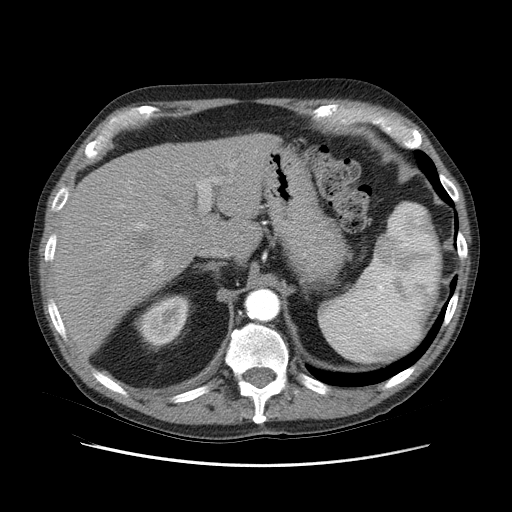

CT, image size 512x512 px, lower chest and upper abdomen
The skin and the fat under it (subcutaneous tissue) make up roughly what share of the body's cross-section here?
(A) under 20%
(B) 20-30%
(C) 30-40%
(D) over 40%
(A) under 20%
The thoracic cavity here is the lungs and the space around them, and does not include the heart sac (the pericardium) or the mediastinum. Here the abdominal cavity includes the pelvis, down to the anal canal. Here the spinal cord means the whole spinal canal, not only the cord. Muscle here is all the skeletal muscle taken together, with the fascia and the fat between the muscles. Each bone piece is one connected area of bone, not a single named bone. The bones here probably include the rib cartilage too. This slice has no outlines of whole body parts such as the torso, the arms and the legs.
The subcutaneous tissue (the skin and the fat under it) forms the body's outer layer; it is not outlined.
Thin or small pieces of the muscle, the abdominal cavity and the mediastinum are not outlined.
{"muscle":[[[267,97],[365,101],[393,109],[423,130],[462,189],[472,241],[465,297],[448,342],[412,382],[363,411],[330,419],[266,421],[264,410],[271,397],[284,391],[289,399],[290,391],[298,392],[288,377],[290,359],[305,372],[300,371],[295,379],[321,395],[330,392],[331,386],[363,387],[384,381],[385,390],[412,374],[458,304],[458,257],[464,260],[468,255],[455,207],[458,189],[420,149],[423,139],[416,128],[361,106],[320,104],[308,115],[277,105],[239,102],[158,116],[158,106],[141,104],[107,121],[83,150],[88,159],[95,159],[77,171],[69,191],[63,185],[53,197],[50,209],[58,213],[55,232],[43,251],[44,261],[51,263],[50,320],[62,339],[69,338],[95,368],[93,377],[124,397],[129,394],[125,386],[145,394],[180,392],[168,398],[174,404],[191,401],[207,394],[210,386],[188,388],[203,382],[223,360],[236,380],[238,393],[251,399],[254,412],[252,422],[240,424],[173,423],[89,387],[63,357],[43,311],[38,249],[47,200],[55,184],[82,142],[120,107],[143,101]]],"bones":[{"outer":[[250,322],[277,331],[286,343],[289,349],[287,377],[291,387],[297,390],[296,393],[290,390],[289,398],[284,390],[271,396],[265,402],[263,413],[266,420],[262,423],[252,420],[254,403],[249,396],[239,393],[237,380],[231,368],[224,362],[232,331]],"hole":[[251,368],[268,368],[273,371],[273,372],[274,373],[274,377],[273,378],[273,379],[271,381],[270,381],[264,386],[263,386],[262,387],[257,387],[255,385],[254,385],[253,384],[252,384],[250,382],[247,381],[244,378],[244,373],[247,370],[248,370]]},[[332,103],[337,103],[348,108],[361,107],[372,112],[389,116],[392,119],[398,119],[407,127],[416,129],[421,135],[422,142],[419,148],[408,149],[399,145],[377,125],[369,122],[332,125],[327,122],[314,120],[310,114],[312,110],[320,105]],[[141,105],[151,105],[158,107],[160,111],[157,114],[157,117],[153,117],[142,123],[135,123],[121,127],[114,131],[109,136],[105,145],[99,151],[95,158],[91,159],[85,155],[84,150],[86,145],[101,132],[104,126],[113,116],[133,107],[137,107]],[[300,372],[302,372],[310,376],[312,378],[316,380],[318,380],[325,384],[327,384],[329,385],[331,388],[330,391],[329,391],[326,394],[321,394],[301,384],[296,379],[298,374]],[[204,384],[208,384],[209,386],[209,391],[207,393],[205,393],[200,396],[198,396],[191,400],[174,403],[170,401],[169,399],[169,398],[173,395],[175,395],[178,393],[180,393],[181,392],[183,392],[184,391],[186,391],[190,389],[196,388]],[[50,298],[52,298],[54,300],[55,304],[57,307],[57,309],[60,315],[61,320],[65,328],[65,331],[66,332],[66,335],[67,336],[66,340],[63,339],[60,334],[56,330],[51,320],[51,318],[50,317],[50,315],[48,311],[48,300]],[[94,369],[96,370],[98,370],[105,375],[108,376],[112,380],[113,380],[120,386],[121,386],[127,392],[128,394],[127,396],[124,396],[122,394],[118,392],[113,391],[109,389],[104,385],[103,385],[100,382],[99,382],[92,374],[92,371]],[[414,364],[415,365],[415,368],[414,370],[411,373],[411,374],[403,381],[389,388],[386,388],[385,389],[383,388],[383,386],[385,382],[388,379],[389,379],[394,375],[397,374],[399,372],[404,370],[406,368]],[[63,186],[65,186],[67,187],[68,189],[68,196],[67,197],[67,199],[65,203],[63,205],[63,206],[58,211],[53,211],[51,209],[52,202],[58,190],[61,187]],[[439,174],[442,174],[443,175],[444,175],[448,179],[449,179],[453,183],[453,184],[457,189],[459,198],[456,202],[455,202],[451,198],[451,197],[449,195],[449,194],[446,191],[446,190],[442,185],[442,184],[440,181],[440,179],[439,178]],[[455,291],[456,291],[458,293],[458,298],[457,299],[457,304],[456,305],[455,310],[449,322],[445,326],[442,326],[442,324],[444,320],[444,317],[445,316],[445,312],[446,311],[446,309],[447,308],[447,306],[448,305],[449,300],[451,296],[454,293]],[[52,233],[55,233],[55,234],[56,235],[56,241],[55,242],[55,249],[54,250],[54,252],[53,253],[53,258],[51,261],[45,261],[45,260],[44,259],[44,251],[45,250],[45,246],[46,245],[46,243],[47,242],[47,241],[48,240],[50,235]],[[459,230],[462,233],[462,234],[463,235],[463,236],[465,239],[465,241],[467,244],[467,255],[466,256],[466,257],[464,259],[460,259],[460,258],[458,256],[458,253],[457,252],[457,244],[456,243],[456,241],[457,240],[457,233]]],"spinal_cord":[[[251,368],[268,368],[273,371],[273,372],[274,373],[274,377],[273,378],[273,379],[271,381],[270,381],[264,386],[263,386],[262,387],[257,387],[255,385],[254,385],[253,384],[252,384],[250,382],[247,381],[244,378],[244,373],[247,370],[248,370]]],"abdominal_cavity":[[[239,103],[332,126],[369,123],[391,138],[453,210],[457,267],[447,298],[407,355],[383,368],[344,372],[302,361],[279,290],[252,287],[235,298],[223,359],[203,381],[169,393],[120,385],[72,343],[54,299],[58,212],[78,171],[100,157],[114,132]]],"mediastinum":[[[263,286],[278,290],[278,292],[281,298],[283,321],[293,348],[292,351],[289,348],[287,343],[277,330],[264,324],[250,321],[240,327],[237,328],[236,327],[232,329],[233,328],[233,319],[234,318],[234,302],[238,295],[252,288],[262,287]],[[398,146],[399,147],[401,147],[402,148],[404,148],[408,150],[414,150],[413,152],[413,154],[415,157],[415,160],[416,161],[414,161],[413,159],[410,159],[410,158],[408,157],[408,156],[406,155],[406,154],[404,153],[403,151],[400,150],[398,148]]],"thoracic_cavity":[[[456,274],[455,289],[448,300],[442,323],[433,340],[413,364],[386,380],[363,386],[330,385],[307,374],[301,366],[290,358],[290,350],[293,351],[299,356],[302,362],[331,372],[360,373],[379,370],[389,366],[407,356],[424,340],[448,298],[450,282]],[[417,149],[423,151],[432,160],[436,168],[438,178],[441,185],[454,202],[454,207],[457,212],[458,217],[458,230],[456,233],[456,240],[455,241],[456,248],[454,243],[454,210],[438,195],[428,178],[422,170],[420,169],[414,154],[415,150]]]}